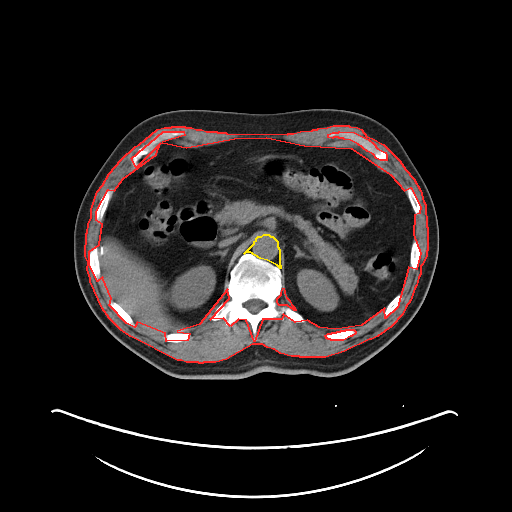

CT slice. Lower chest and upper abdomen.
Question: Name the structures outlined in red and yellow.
Answer: red: muscle; yellow: mediastinum.
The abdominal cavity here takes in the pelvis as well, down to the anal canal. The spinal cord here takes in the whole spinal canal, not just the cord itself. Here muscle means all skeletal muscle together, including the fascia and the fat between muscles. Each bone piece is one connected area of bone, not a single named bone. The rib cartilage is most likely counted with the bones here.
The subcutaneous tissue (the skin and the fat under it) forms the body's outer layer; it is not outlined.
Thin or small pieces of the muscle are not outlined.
{"muscle":[{"outer":[[333,125],[348,125],[349,126],[357,127],[361,129],[366,136],[372,138],[383,144],[399,160],[405,169],[413,178],[420,190],[423,201],[425,204],[426,226],[427,227],[427,250],[426,251],[426,255],[422,264],[420,266],[420,274],[418,277],[416,285],[414,288],[410,300],[405,307],[402,314],[391,326],[377,336],[371,339],[369,339],[344,351],[325,357],[300,357],[299,356],[291,356],[280,353],[274,349],[267,347],[262,344],[252,344],[226,359],[215,362],[203,362],[202,363],[199,363],[198,362],[186,362],[181,360],[177,360],[130,336],[121,330],[109,318],[102,308],[90,281],[90,278],[87,269],[88,262],[85,256],[86,233],[87,232],[88,224],[91,217],[91,209],[97,191],[102,185],[109,173],[121,159],[135,146],[139,144],[157,129],[164,127],[171,127],[172,126],[184,126],[185,127],[191,127],[196,129],[201,129],[206,131],[216,131],[217,132],[225,132],[226,133],[287,134],[288,133],[293,133],[300,131],[312,130],[313,129],[317,129],[318,128],[327,127]],"holes":[[[163,131],[183,131],[184,135],[162,142],[186,147],[234,138],[266,137],[304,145],[351,148],[390,174],[404,190],[410,187],[420,206],[419,213],[414,215],[413,234],[420,253],[416,269],[408,267],[397,307],[385,318],[384,308],[361,325],[335,329],[319,327],[307,320],[295,322],[283,314],[281,319],[262,319],[254,341],[246,320],[238,319],[230,326],[223,318],[210,319],[229,298],[227,289],[199,324],[177,331],[189,333],[187,340],[166,341],[165,333],[137,322],[134,327],[126,323],[109,305],[111,298],[102,277],[97,281],[89,264],[89,251],[99,244],[102,224],[96,220],[96,211],[108,189],[114,190],[123,178],[156,154],[160,143],[136,167],[131,158]],[[339,131],[354,132],[368,139],[373,143],[377,148],[385,152],[386,154],[386,160],[380,160],[376,158],[373,154],[367,151],[358,144],[350,140],[344,139],[343,138],[339,138],[338,137],[333,137],[332,138],[328,137],[328,134],[332,132],[338,132]],[[346,329],[353,329],[355,331],[355,333],[351,336],[350,336],[343,340],[331,340],[330,339],[328,339],[327,338],[326,338],[326,337],[325,336],[325,335],[328,333],[331,333],[332,332],[336,332],[337,331],[340,331],[341,330],[345,330]]]},[[283,288],[284,290],[284,293],[286,297],[289,300],[291,304],[294,307],[295,310],[294,310],[292,308],[291,308],[287,305],[279,305],[278,304],[277,302],[277,298],[281,294],[281,292]]],"mediastinum":[[[264,234],[268,234],[270,236],[272,236],[277,241],[277,246],[279,249],[279,264],[280,265],[280,268],[277,265],[267,260],[260,258],[250,252],[245,252],[244,253],[254,243],[254,241],[256,240],[256,238],[258,236],[261,236]]],"bones":[{"outer":[[245,253],[279,268],[282,286],[276,302],[299,313],[305,319],[304,322],[292,321],[284,314],[281,319],[262,319],[257,325],[257,340],[254,341],[251,326],[246,320],[238,319],[230,326],[223,318],[210,319],[216,308],[229,298],[227,285],[230,271]],"hole":[[251,299],[259,299],[260,300],[261,300],[262,301],[263,301],[265,303],[265,306],[263,308],[262,308],[258,312],[257,312],[256,313],[252,313],[251,312],[250,312],[244,306],[244,304],[247,301],[248,301],[249,300],[250,300]]},[[163,131],[183,131],[185,134],[182,136],[178,136],[172,139],[168,139],[167,140],[163,141],[153,150],[150,151],[147,154],[144,155],[137,162],[137,166],[136,167],[133,167],[131,163],[131,158],[137,151],[137,150],[141,146],[148,142],[156,134]],[[339,131],[354,132],[368,139],[373,143],[377,148],[385,152],[386,154],[386,160],[380,160],[376,158],[373,154],[367,151],[358,144],[350,140],[344,139],[343,138],[339,138],[338,137],[333,137],[332,138],[328,137],[328,134],[332,132],[338,132]],[[95,245],[99,247],[99,254],[98,255],[98,258],[99,259],[99,267],[100,268],[100,278],[99,279],[99,281],[97,281],[97,280],[94,277],[91,271],[91,268],[89,264],[89,258],[88,257],[89,256],[89,251],[91,249],[91,248]],[[108,189],[112,189],[113,190],[113,192],[108,202],[108,204],[105,210],[105,212],[104,213],[104,215],[103,216],[102,221],[101,223],[98,223],[96,220],[96,211],[97,210],[97,206],[98,205],[98,203],[101,197],[103,195],[103,194]],[[110,300],[112,300],[116,302],[118,304],[119,304],[119,305],[126,312],[127,312],[128,314],[129,314],[129,315],[135,323],[135,326],[134,327],[132,327],[130,326],[121,318],[120,318],[114,312],[114,311],[109,305],[109,301]],[[413,239],[415,239],[418,241],[418,242],[419,243],[419,251],[420,252],[420,253],[419,254],[419,262],[418,263],[418,265],[415,270],[413,270],[411,268],[411,267],[410,266],[410,251],[411,250],[411,246],[412,245],[412,241],[413,240]],[[346,329],[353,329],[355,331],[355,333],[351,336],[350,336],[343,340],[331,340],[330,339],[328,339],[327,338],[326,338],[326,337],[325,336],[325,335],[328,333],[331,333],[332,332],[336,332],[337,331],[340,331],[341,330],[345,330]],[[175,332],[182,332],[183,333],[189,333],[191,336],[189,339],[188,339],[187,340],[185,340],[184,341],[180,341],[179,342],[171,342],[170,341],[166,341],[165,340],[164,340],[164,339],[163,338],[163,337],[166,334],[168,334],[169,333],[174,333]],[[407,186],[410,187],[412,189],[412,190],[415,193],[418,199],[418,201],[419,202],[419,205],[420,206],[420,210],[418,214],[415,214],[414,213],[414,211],[412,208],[412,206],[410,203],[410,201],[406,193],[405,188]],[[399,293],[400,293],[402,295],[402,299],[400,301],[400,302],[398,304],[398,305],[397,306],[397,307],[389,315],[388,315],[385,318],[384,318],[383,317],[383,313],[385,310],[385,308],[387,306],[387,305],[391,301],[391,300],[396,295],[397,295]]],"spinal_cord":[[[251,299],[259,299],[260,300],[261,300],[262,301],[263,301],[265,303],[265,306],[263,308],[262,308],[258,312],[257,312],[256,313],[252,313],[251,312],[250,312],[244,306],[244,304],[247,301],[248,301],[249,300],[250,300]]],"torso":[[[310,108],[351,110],[378,120],[397,137],[423,178],[437,215],[439,252],[420,308],[385,347],[355,369],[337,376],[262,371],[242,379],[218,380],[179,379],[162,372],[107,331],[80,289],[73,232],[90,182],[120,139],[154,114],[178,109],[275,113]]],"abdominal_cavity":[[[246,137],[351,148],[390,174],[405,191],[414,214],[405,281],[365,323],[327,329],[296,311],[282,288],[278,241],[268,233],[258,235],[237,259],[224,294],[195,326],[152,331],[111,299],[101,276],[98,245],[120,181],[152,158],[163,143],[198,147]]]}